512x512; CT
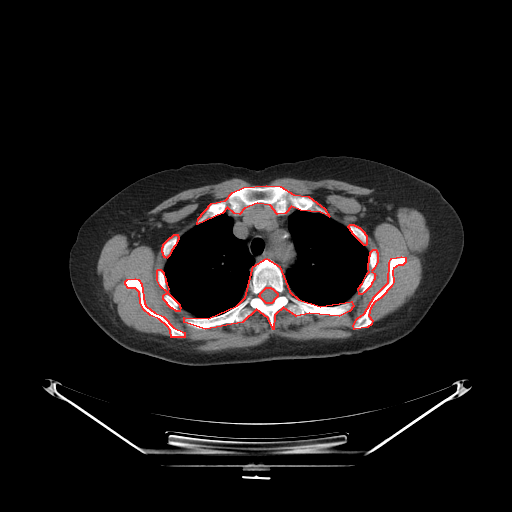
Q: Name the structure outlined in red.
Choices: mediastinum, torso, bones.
A: red: bones.
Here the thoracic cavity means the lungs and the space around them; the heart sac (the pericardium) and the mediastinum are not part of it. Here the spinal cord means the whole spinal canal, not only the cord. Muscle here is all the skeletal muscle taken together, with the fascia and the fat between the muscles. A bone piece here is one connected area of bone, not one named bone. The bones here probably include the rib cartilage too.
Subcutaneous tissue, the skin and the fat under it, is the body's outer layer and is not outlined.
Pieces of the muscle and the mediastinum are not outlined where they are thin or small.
{"bones":[{"outer":[[266,258],[279,266],[289,291],[298,299],[320,306],[351,301],[353,306],[349,311],[339,316],[309,313],[296,316],[283,307],[274,315],[273,329],[268,318],[256,309],[242,322],[205,329],[184,322],[184,317],[208,318],[237,305],[245,297],[253,266]],"hole":[[266,287],[270,287],[271,288],[272,288],[277,293],[277,296],[273,300],[273,301],[271,303],[266,303],[259,296],[259,295],[260,294],[260,293]]},[[266,185],[280,186],[293,194],[308,196],[324,208],[329,216],[320,212],[300,210],[291,206],[285,213],[277,214],[270,205],[257,203],[244,208],[239,214],[234,213],[227,207],[222,213],[197,224],[198,218],[211,203],[225,200],[232,192],[243,187]],[[401,256],[405,257],[405,262],[402,265],[398,265],[393,268],[392,270],[393,282],[391,286],[381,297],[374,302],[370,308],[368,315],[372,320],[371,324],[367,327],[354,329],[353,325],[357,318],[364,313],[374,296],[388,282],[389,262],[391,258]],[[135,278],[138,279],[141,283],[144,303],[146,306],[154,312],[163,316],[173,327],[184,332],[184,337],[171,337],[170,330],[167,326],[159,319],[150,315],[143,309],[140,302],[139,292],[135,288],[128,288],[125,284],[125,281],[127,279]],[[373,249],[375,249],[377,252],[377,261],[374,268],[371,271],[374,273],[375,275],[374,276],[374,279],[371,283],[370,286],[364,292],[361,294],[359,294],[358,288],[362,283],[367,273],[369,271],[368,269],[369,256],[370,255],[370,252]],[[158,269],[160,269],[163,272],[163,274],[165,278],[165,281],[166,282],[166,284],[168,288],[167,292],[179,304],[179,306],[180,307],[179,311],[176,311],[172,308],[171,308],[163,299],[163,295],[167,292],[160,286],[157,280],[157,270]],[[174,234],[177,234],[177,235],[178,236],[178,239],[177,240],[175,245],[171,250],[169,255],[166,258],[165,257],[164,257],[164,256],[163,255],[163,253],[162,252],[162,247],[163,246],[163,244],[170,237],[171,237]],[[350,224],[353,224],[354,225],[355,225],[356,226],[357,226],[358,227],[359,227],[364,232],[364,233],[366,235],[366,244],[365,245],[364,245],[352,233],[352,232],[350,230],[350,229],[348,227],[348,226]]],"torso":[[[320,155],[360,157],[407,172],[436,187],[461,219],[464,245],[458,265],[428,312],[406,336],[391,344],[356,354],[190,366],[134,352],[121,346],[90,318],[80,304],[69,276],[70,249],[86,218],[129,184],[149,174],[186,164],[223,162],[262,169]]],"spinal_cord":[[[266,287],[270,287],[271,288],[272,288],[277,293],[277,296],[273,300],[273,301],[271,303],[266,303],[259,296],[259,295],[260,294],[260,293]]],"mediastinum":[[[257,204],[264,204],[277,215],[285,214],[289,208],[296,209],[287,218],[287,227],[297,253],[296,261],[284,274],[280,266],[271,258],[262,258],[255,263],[247,242],[236,237],[232,231],[233,218],[224,212],[228,209],[239,215],[244,209]]],"muscle":[{"outer":[[282,177],[335,179],[371,188],[423,214],[430,235],[422,276],[401,307],[371,326],[369,315],[392,286],[394,268],[406,262],[401,255],[390,258],[387,282],[352,325],[354,330],[367,328],[347,338],[272,336],[256,346],[205,352],[122,322],[97,274],[105,242],[175,194],[231,178],[257,185],[243,186],[211,202],[195,225],[162,244],[166,261],[163,270],[156,270],[156,280],[166,292],[164,302],[176,312],[181,308],[189,312],[182,320],[198,330],[242,323],[253,310],[267,318],[271,330],[283,308],[296,317],[339,317],[349,312],[354,304],[347,300],[357,291],[364,293],[375,279],[378,252],[368,251],[367,235],[359,226],[332,218],[312,197],[280,185],[262,185]],"hole":[[135,278],[138,279],[141,283],[144,303],[146,306],[154,312],[163,316],[173,327],[184,332],[184,337],[171,337],[170,330],[167,326],[159,319],[150,315],[143,309],[140,302],[139,292],[135,288],[128,288],[125,284],[125,281],[127,279]]}],"thoracic_cavity":[[[223,213],[232,218],[233,224],[231,231],[236,238],[246,242],[247,249],[254,259],[254,264],[249,269],[251,271],[251,276],[246,285],[243,297],[237,304],[216,315],[197,317],[181,307],[171,295],[163,271],[167,258],[183,234],[205,220],[214,218]],[[297,210],[311,213],[320,213],[342,224],[347,227],[351,233],[365,246],[369,253],[366,274],[358,286],[357,290],[345,301],[335,305],[315,304],[298,298],[292,293],[288,287],[284,275],[288,269],[295,265],[298,255],[288,227],[288,218],[291,214]]]}